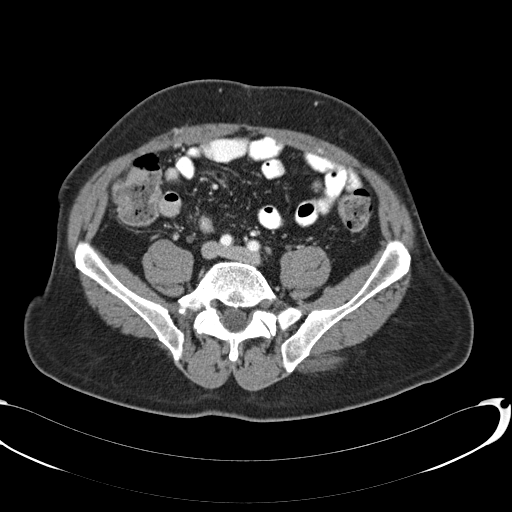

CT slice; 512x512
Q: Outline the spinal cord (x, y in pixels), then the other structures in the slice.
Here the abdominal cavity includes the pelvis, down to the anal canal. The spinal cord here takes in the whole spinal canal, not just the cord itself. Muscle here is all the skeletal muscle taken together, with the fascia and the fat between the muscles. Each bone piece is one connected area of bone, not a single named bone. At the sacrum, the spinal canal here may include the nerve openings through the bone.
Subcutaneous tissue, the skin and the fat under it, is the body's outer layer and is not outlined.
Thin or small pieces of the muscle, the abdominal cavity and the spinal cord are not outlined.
A: The spinal cord is outlined by 224,307 232,307 235,309 238,309 239,308 240,309 242,309 245,312 247,316 247,319 248,321 246,325 242,329 240,330 238,330 237,331 231,331 228,328 227,328 225,326 222,320 222,310. The muscle is outlined by 209,122 247,123 287,128 326,140 343,148 375,170 388,181 404,202 415,230 415,247 417,251 412,259 410,285 395,312 375,333 352,348 350,361 342,366 322,374 306,374 294,371 310,354 317,341 333,325 368,299 400,280 410,270 411,254 404,242 397,238 391,238 387,241 374,267 359,289 348,300 335,307 313,308 304,316 295,331 280,345 281,363 286,374 289,375 267,387 255,391 242,388 232,376 221,386 212,389 194,383 146,338 115,334 98,318 88,304 78,274 76,270 70,266 66,247 68,215 80,188 99,167 137,148 153,137 184,125, around holes outlined by 241,129 355,168 377,196 381,238 369,261 309,301 331,261 317,245 285,251 279,282 302,316 243,340 232,362 226,341 178,312 194,267 188,249 154,241 141,257 150,286 94,237 108,186 134,156 and by 81,240 90,243 97,250 102,261 108,269 127,288 144,298 159,303 167,309 173,322 183,333 184,338 182,355 177,365 175,364 172,354 168,348 158,339 151,327 136,312 121,299 75,267 74,251 78,242. The abdominal cavity is outlined by 241,129 320,150 367,180 381,234 369,261 303,301 326,282 331,261 317,245 285,251 278,278 298,301 293,306 245,261 219,260 184,294 194,267 188,249 154,241 141,257 150,286 94,244 108,186 134,156. The torso is outlined by 204,78 311,88 349,103 377,127 401,164 435,254 469,299 474,337 461,367 360,407 304,419 255,422 217,415 173,417 125,407 65,386 33,365 24,345 23,318 51,269 57,194 64,178 138,102 172,84. The bones appear in 3 outlined pieces: piece 1: 219,261 240,261 255,266 282,302 275,309 292,306 302,313 301,318 286,329 282,330 278,325 269,338 259,336 240,342 234,362 228,358 226,341 198,334 193,329 194,314 178,312 177,300 191,292 204,273, around holes outlined by 224,307 232,307 235,309 238,309 239,308 240,309 242,309 245,312 247,316 247,319 248,321 246,325 242,329 240,330 238,330 237,331 231,331 228,328 227,328 225,326 222,320 222,310 and by 263,300 264,300 265,300 266,301 267,301 267,302 268,303 268,304 268,305 267,306 267,307 266,307 265,308 264,308 263,308 262,307 261,307 261,306 260,305 260,304 260,303 261,302 261,301 262,301 and by 213,300 214,300 215,300 216,301 217,301 217,302 218,303 218,304 218,305 217,306 217,307 216,307 215,308 214,308 213,308 212,307 211,307 211,306 210,305 210,304 210,303 211,302 211,301 212,301; piece 2: 391,239 402,241 407,248 411,257 409,270 400,279 368,298 354,310 347,313 333,324 316,341 309,354 290,374 287,374 282,363 282,343 296,331 305,316 313,309 335,308 348,301 363,285 378,262 388,241; piece 3: 81,240 90,243 97,250 102,261 108,269 127,288 144,298 159,303 167,309 173,322 183,333 184,338 182,355 177,365 175,364 172,354 168,348 158,339 151,327 136,312 121,299 75,267 74,251 78,242.